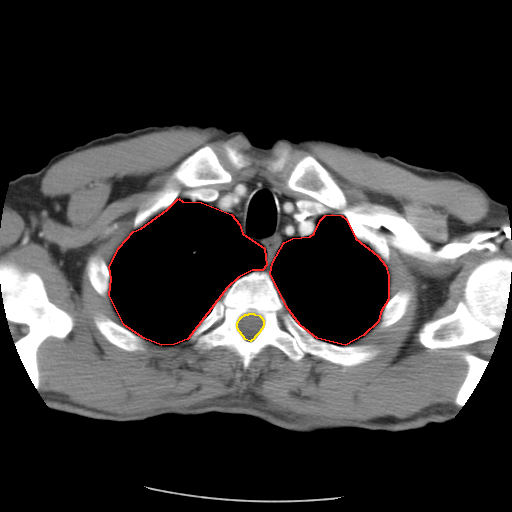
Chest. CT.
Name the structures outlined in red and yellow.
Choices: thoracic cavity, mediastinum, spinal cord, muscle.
red: thoracic cavity; yellow: spinal cord.
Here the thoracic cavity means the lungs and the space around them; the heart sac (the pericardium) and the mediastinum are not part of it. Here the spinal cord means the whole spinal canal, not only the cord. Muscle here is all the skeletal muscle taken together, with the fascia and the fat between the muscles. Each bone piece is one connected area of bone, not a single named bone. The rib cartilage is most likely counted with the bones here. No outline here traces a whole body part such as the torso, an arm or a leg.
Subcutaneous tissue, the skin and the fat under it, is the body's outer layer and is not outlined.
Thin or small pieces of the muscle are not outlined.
Outlines:
thoracic cavity 1: 178 198; 182 201; 201 202; 231 214; 239 224; 242 233; 264 248; 266 265; 262 270; 252 270; 238 277; 227 287; 187 339; 174 344; 161 345; 144 338; 124 325; 109 295; 111 278; 109 266; 119 247; 133 231; 141 228; 167 209
thoracic cavity 2: 332 214; 341 215; 346 219; 355 238; 377 255; 385 265; 388 275; 388 299; 380 312; 378 321; 363 335; 345 345; 317 338; 300 325; 286 306; 270 273; 272 263; 284 242; 292 238; 310 236; 314 233; 320 220; 325 215
spinal cord: 249 313; 253 313; 254 314; 259 315; 262 318; 262 319; 263 320; 263 326; 262 327; 262 328; 260 330; 260 331; 254 337; 254 338; 250 341; 245 339; 237 328; 237 322; 240 318; 240 317; 241 317; 245 314; 248 314
bones 1: 256 270; 269 272; 292 317; 315 338; 339 346; 372 344; 378 353; 368 361; 344 366; 309 353; 294 361; 279 348; 268 345; 244 369; 241 358; 225 346; 204 351; 194 349; 194 343; 189 340; 192 331; 210 313; 227 288; 238 278; inner edge: 249 313; 253 313; 254 314; 259 315; 262 318; 262 319; 263 320; 263 326; 262 327; 262 328; 260 330; 260 331; 254 337; 254 338; 250 341; 245 339; 237 328; 237 322; 240 318; 240 317; 241 317; 245 314; 248 314
bones 2: 492 258; 511 258; 511 283; 508 292; 505 313; 501 325; 501 329; 498 335; 489 339; 480 340; 467 345; 456 347; 435 349; 425 347; 419 340; 419 332; 424 324; 452 313; 455 310; 458 302; 463 298; 465 284; 471 271; 482 262
bones 3: 0 262; 11 263; 22 271; 31 271; 38 274; 43 281; 48 299; 73 318; 74 325; 63 339; 49 336; 38 348; 37 361; 40 379; 38 389; 32 382; 15 345; 15 342; 25 335; 29 328; 24 323; 8 321; 6 317; 0 290
bones 4: 307 155; 315 158; 331 174; 346 196; 348 201; 347 207; 354 217; 376 228; 383 234; 390 249; 389 260; 386 265; 368 245; 356 238; 343 215; 332 213; 333 211; 329 206; 316 198; 294 191; 287 186; 287 180; 294 165; 299 159
bones 5: 206 145; 210 146; 215 151; 220 162; 231 174; 231 181; 228 183; 211 183; 193 187; 188 187; 184 185; 181 187; 177 198; 167 208; 152 217; 141 227; 133 230; 132 222; 138 210; 158 190; 163 187; 171 174; 184 159; 199 148
bones 6: 96 314; 103 314; 105 315; 116 323; 120 324; 121 325; 123 325; 126 328; 127 328; 135 334; 145 339; 145 342; 143 344; 144 350; 127 351; 118 347; 116 345; 108 341; 98 330; 98 329; 95 325; 95 323; 94 322; 94 316
bones 7: 463 351; 468 352; 482 359; 484 359; 487 361; 487 364; 479 381; 477 383; 472 393; 469 396; 468 399; 465 402; 465 403; 461 407; 459 407; 454 403; 454 399; 457 393; 457 391; 461 385; 467 372; 467 363; 461 354; 461 352
bones 8: 399 290; 406 290; 411 294; 411 298; 409 301; 409 303; 407 306; 405 313; 393 324; 386 327; 383 327; 382 328; 378 327; 377 326; 377 324; 380 319; 381 312; 385 304; 387 302; 389 298; 394 295; 396 293; 396 292; 397 292
bones 9: 93 255; 97 255; 102 258; 108 266; 109 273; 110 274; 110 278; 109 279; 109 291; 108 292; 108 296; 107 297; 105 297; 99 294; 95 290; 95 289; 92 286; 90 282; 90 280; 88 277; 88 275; 86 271; 86 264; 88 259
bones 10: 225 143; 233 147; 235 147; 247 153; 250 156; 250 158; 249 159; 249 163; 244 167; 242 168; 240 168; 239 169; 237 169; 229 161; 227 157; 227 155; 226 154; 226 152; 224 148; 224 144
bones 11: 275 150; 286 150; 287 151; 287 160; 286 161; 286 162; 285 163; 284 166; 280 170; 278 170; 277 171; 272 171; 271 170; 270 170; 268 168; 268 162; 267 161; 268 160; 268 159; 269 159; 270 158; 273 158; 274 157; 274 151
muscle 1: 170 128; 239 134; 260 149; 281 141; 325 142; 479 189; 490 211; 510 223; 511 257; 476 265; 454 310; 418 332; 419 342; 432 350; 498 336; 489 361; 460 352; 466 372; 453 399; 457 406; 318 425; 254 395; 125 416; 41 390; 39 348; 49 337; 63 340; 75 322; 49 299; 38 273; 0 261; 2 208; 15 210; 30 228; 46 217; 59 222; 54 200; 40 190; 54 163, around holes outlined by 206 145; 232 182; 258 174; 288 194; 300 193; 287 180; 296 162; 311 155; 354 217; 383 234; 390 249; 387 296; 406 290; 411 298; 396 322; 376 323; 350 344; 372 344; 374 357; 348 366; 309 353; 294 361; 268 345; 244 369; 225 346; 199 351; 188 338; 169 345; 146 339; 144 350; 127 351; 98 330; 96 314; 124 323; 110 296; 92 286; 88 259; 97 255; 109 266; 138 210 and by 225 143; 233 147; 235 147; 247 153; 250 156; 250 158; 249 159; 249 163; 244 167; 242 168; 240 168; 239 169; 237 169; 229 161; 227 157; 227 155; 226 154; 226 152; 224 148; 224 144 and by 275 150; 286 150; 287 151; 287 160; 286 161; 286 162; 285 163; 284 166; 280 170; 278 170; 277 171; 272 171; 271 170; 270 170; 268 168; 268 162; 267 161; 268 160; 268 159; 269 159; 270 158; 273 158; 274 157; 274 151
muscle 2: 9 321; 13 323; 15 323; 16 324; 24 324; 26 325; 28 328; 28 330; 27 332; 25 334; 21 336; 18 339; 17 339; 16 341; 14 342; 13 342; 13 340; 12 339; 12 337; 10 333; 10 330; 9 329; 9 325; 7 322
mediastinum: 256 174; 288 194; 307 195; 332 211; 319 220; 310 235; 292 237; 284 241; 278 248; 269 271; 265 270; 267 265; 265 248; 243 233; 240 224; 231 213; 201 201; 182 200; 178 197; 184 186; 193 188; 211 184; 228 184